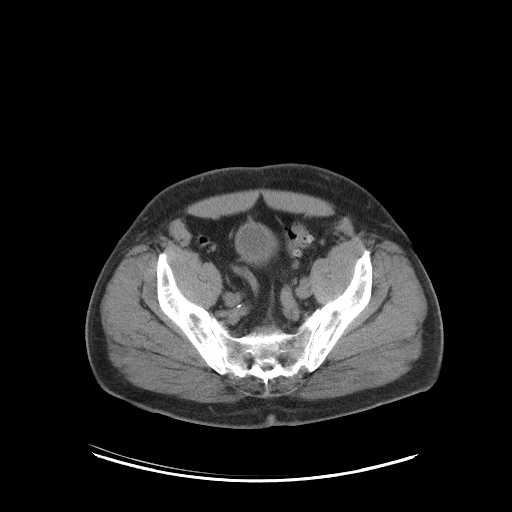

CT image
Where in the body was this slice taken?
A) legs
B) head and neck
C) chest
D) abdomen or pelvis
D) abdomen or pelvis
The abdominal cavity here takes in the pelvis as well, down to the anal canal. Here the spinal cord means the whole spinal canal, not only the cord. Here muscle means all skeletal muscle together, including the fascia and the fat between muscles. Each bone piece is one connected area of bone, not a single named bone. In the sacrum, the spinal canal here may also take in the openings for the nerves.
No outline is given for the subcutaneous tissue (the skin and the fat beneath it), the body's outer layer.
{"spinal_cord":[[[263,365],[264,365],[265,365],[266,365],[267,365],[268,365],[269,365],[270,365],[271,366],[272,367],[271,368],[270,369],[269,369],[268,369],[267,369],[266,369],[265,370],[264,370],[263,369],[262,368],[261,367],[261,366],[262,366]],[[246,355],[247,355],[248,355],[249,356],[250,357],[250,358],[249,359],[248,360],[247,361],[246,361],[245,360],[244,359],[244,358],[244,357],[245,356]],[[285,358],[286,358],[287,359],[288,360],[288,361],[287,362],[286,363],[285,363],[284,362],[283,361],[283,360],[284,359]]],"abdominal_cavity":[[[260,196],[275,210],[316,217],[332,216],[339,243],[311,265],[311,293],[321,306],[306,316],[296,331],[257,327],[236,336],[208,310],[220,294],[222,278],[211,261],[202,261],[195,251],[186,247],[191,239],[186,219],[190,215],[217,219],[244,212]]],"torso":[[[290,161],[322,166],[356,181],[384,205],[412,241],[431,280],[443,321],[443,363],[434,385],[426,391],[364,411],[318,422],[260,429],[214,427],[174,419],[133,406],[101,389],[86,353],[87,306],[105,260],[140,210],[163,188],[196,173],[218,167]]],"muscle":[{"outer":[[255,188],[300,192],[338,204],[360,229],[400,246],[427,302],[427,314],[422,323],[422,352],[405,374],[381,386],[331,398],[246,396],[231,403],[205,403],[136,386],[112,364],[101,324],[100,303],[107,283],[127,250],[144,243],[162,222],[193,202]],"hole":[[260,196],[275,210],[334,218],[339,243],[309,274],[321,306],[344,291],[364,248],[372,266],[367,305],[322,363],[266,388],[259,377],[222,375],[206,363],[160,308],[156,273],[165,251],[181,293],[209,310],[221,274],[186,247],[186,219],[244,212]]}],"bones":[{"outer":[[364,248],[370,251],[372,266],[371,296],[367,305],[316,369],[271,378],[266,388],[259,377],[231,377],[211,368],[158,302],[156,266],[159,253],[165,251],[181,293],[221,321],[233,336],[240,337],[257,328],[278,328],[294,333],[306,317],[344,291]],"hole":[[263,365],[264,365],[265,365],[266,365],[267,365],[268,365],[269,365],[270,365],[271,366],[272,367],[271,368],[270,369],[269,369],[268,369],[267,369],[266,369],[265,370],[264,370],[263,369],[262,368],[261,367],[261,366],[262,366]]}]}